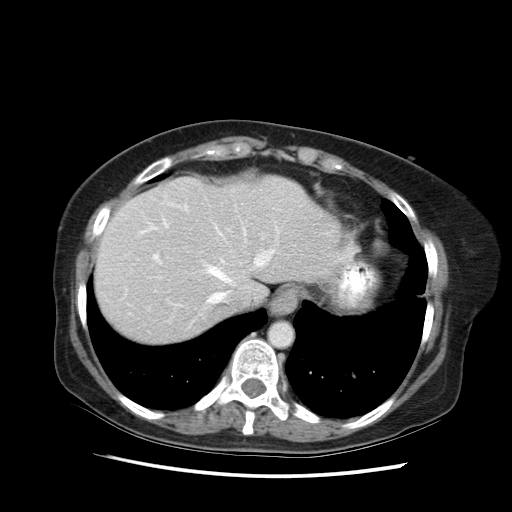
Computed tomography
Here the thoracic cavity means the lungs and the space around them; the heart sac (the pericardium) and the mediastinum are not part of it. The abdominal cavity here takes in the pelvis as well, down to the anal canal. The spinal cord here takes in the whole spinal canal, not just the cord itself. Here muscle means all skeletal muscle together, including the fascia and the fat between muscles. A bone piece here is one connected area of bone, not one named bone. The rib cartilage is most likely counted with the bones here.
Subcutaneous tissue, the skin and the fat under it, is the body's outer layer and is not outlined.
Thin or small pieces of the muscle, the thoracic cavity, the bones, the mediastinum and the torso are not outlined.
The torso is outlined by 284,457 324,456 369,447 410,428 435,423 451,410 461,391 472,324 500,281 503,241 499,229 473,199 413,157 353,138 237,118 159,132 100,165 76,188 62,211 52,268 56,375 88,411 136,437 208,453. The muscle appears in 3 outlined pieces: piece 1: 297,442 340,438 359,431 379,421 427,381 445,357 451,312 444,302 449,279 447,258 439,237 410,204 417,216 416,222 410,222 418,239 421,243 429,234 439,258 437,275 434,280 428,277 426,286 426,299 435,309 430,336 393,394 394,403 384,414 363,428 349,430 340,426 357,418 321,417 320,423 311,424 293,416 292,408 285,421 265,406 256,409 252,436 267,434; piece 2: 190,435 216,433 224,429 229,429 229,432 232,434 243,435 241,428 244,423 245,407 237,401 232,401 221,406 214,404 203,411 195,411 192,406 176,410 155,410 162,411 166,414 159,420 146,420 134,414 116,398 116,392 119,391 103,370 93,349 88,331 86,332 81,326 75,304 78,284 81,281 86,283 91,269 91,259 97,239 91,239 94,218 104,203 109,203 111,211 120,201 141,185 136,186 132,183 138,173 115,195 102,202 95,209 86,225 82,235 82,242 75,258 74,277 70,283 69,337 80,361 102,389 122,407 137,417 153,424; piece 3: 386,197 386,190 388,188 394,189 379,178 352,165 337,155 309,146 284,145 280,147 275,147 270,146 264,140 260,140 249,136 234,135 207,141 195,146 182,149 175,153 168,155 171,155 175,159 176,163 172,167 174,167 184,162 193,160 203,160 209,158 202,157 194,160 191,157 195,152 197,152 205,147 216,143 229,144 234,141 245,141 252,147 252,151 247,156 265,155 264,154 266,152 268,152 269,154 267,155 273,155 280,157 279,154 282,152 285,152 292,157 292,161 298,161 326,172 339,173 349,175 352,177 357,177 371,185 382,195 with holes at 304,163 309,163 310,162 312,162 313,161 314,161 316,159 316,158 317,157 317,154 314,151 313,151 312,150 310,150 309,149 300,149 299,150 298,150 298,151 297,152 297,157 301,161 302,161 and at 337,170 340,170 341,169 342,169 342,168 343,167 343,166 341,164 340,164 336,160 335,160 332,158 326,158 325,159 324,159 321,161 321,164 324,167 325,167 328,169 336,169. The thoracic cavity appears in 2 outlined pieces: piece 1: 341,419 358,417 389,397 407,373 420,341 426,304 426,261 408,219 386,198 381,208 388,237 409,254 409,266 396,299 365,316 343,318 331,316 304,300 293,320 296,339 283,370 289,389 297,401 312,411; piece 2: 154,410 176,409 192,405 206,394 221,375 227,372 227,365 236,345 266,321 265,310 262,308 229,318 187,342 167,346 143,346 121,337 103,319 95,302 90,275 87,282 87,321 96,354 107,375 122,393. The abdominal cavity is outlined by 143,345 187,341 262,307 267,317 288,317 304,299 337,317 365,315 395,299 408,254 390,243 377,214 361,219 340,209 336,194 321,188 320,173 280,163 255,163 227,176 172,168 112,210 92,259 104,319. The mediastinum appears in 2 outlined pieces: piece 1: 386,232 386,222 380,208 381,200 385,197 357,178 322,172 273,156 193,161 177,166 210,175 227,175 255,162 280,162 308,168 321,173 322,188 337,194 337,204 340,208 361,218 377,213 382,218 383,230; piece 2: 282,369 284,367 286,358 291,350 295,339 295,330 292,324 292,320 297,310 294,314 288,318 279,320 267,318 267,321 258,330 252,332 244,338 254,338 257,337 265,340 275,350 277,354 278,360 282,365. The spinal cord is outlined by 250,397 254,397 255,396 256,396 257,395 262,393 265,390 265,387 264,386 264,385 261,382 261,381 260,381 255,378 250,378 249,379 246,380 242,384 242,389 244,391 244,392 246,394 247,394. The bones appear in 11 outlined pieces: piece 1: 244,435 253,433 254,410 262,405 281,420 291,407 293,415 306,421 321,420 295,400 282,398 288,385 281,365 271,346 257,338 243,339 237,345 228,372 193,405 195,410 203,410 214,403 241,402 246,407, around a hole outlined by 250,397 254,397 255,396 256,396 257,395 262,393 265,390 265,387 264,386 264,385 261,382 261,381 260,381 255,378 250,378 249,379 246,380 242,384 242,389 244,391 244,392 246,394 247,394; piece 2: 211,160 223,159 231,153 235,154 238,157 243,157 246,156 251,151 251,147 245,142 234,142 229,145 216,144 213,146 205,148 203,150 195,153 192,156 194,159 202,156 208,156 210,158 208,159; piece 3: 136,185 138,184 141,184 151,179 153,177 169,169 172,166 173,166 173,165 175,163 175,161 174,159 171,156 168,156 166,155 152,162 149,165 148,165 135,178 133,183; piece 4: 349,429 356,429 360,427 363,427 369,424 372,421 376,419 389,408 389,407 393,403 395,399 395,396 394,395 392,395 374,409 364,414 354,421 351,421 350,422 342,424 341,425 342,427 344,428 348,428; piece 5: 146,419 159,419 163,417 165,415 164,413 162,412 160,412 159,411 154,411 148,408 146,408 134,402 132,400 131,400 120,392 117,392 117,398 125,406 126,406 134,413; piece 6: 433,279 434,279 437,272 438,258 437,257 437,252 436,251 435,246 433,243 433,241 431,237 429,235 427,235 426,238 423,241 422,245 424,249 424,252 425,253 425,256 427,261 428,276 429,277 431,277; piece 7: 86,331 88,330 87,328 87,322 86,321 86,284 84,282 81,282 79,284 79,286 77,290 77,294 76,295 76,304 77,305 78,314 79,315 79,317 80,318 80,320 81,321 82,326 83,328; piece 8: 413,221 416,221 416,216 413,210 409,205 409,204 405,200 405,199 397,192 396,192 394,190 392,190 391,189 388,189 387,190 387,198 388,198 391,201 392,201 395,204 395,205 409,219 409,220 412,220; piece 9: 92,239 93,239 95,237 97,237 101,233 107,221 107,219 110,213 110,207 108,203 106,203 104,204 100,208 95,218 95,220 93,224 93,228 92,229; piece 10: 420,348 421,348 424,345 429,336 429,333 431,329 431,325 433,321 433,311 434,309 433,308 433,305 430,301 427,301 427,304 426,305 426,310 425,311 425,317 424,318 424,323 423,324 421,341 419,346; piece 11: 304,163 309,163 310,162 312,162 313,161 314,161 316,159 316,158 317,157 317,154 314,151 313,151 312,150 310,150 309,149 300,149 299,150 298,150 298,151 297,152 297,157 301,161 302,161.